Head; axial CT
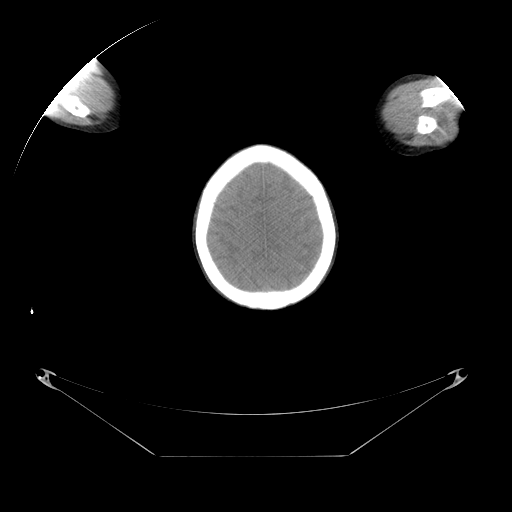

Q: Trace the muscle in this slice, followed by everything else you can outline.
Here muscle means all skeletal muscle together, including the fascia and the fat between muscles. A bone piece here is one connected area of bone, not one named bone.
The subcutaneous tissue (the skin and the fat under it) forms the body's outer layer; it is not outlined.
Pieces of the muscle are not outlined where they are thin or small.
A: {"muscle":[{"outer":[[418,79],[438,80],[446,84],[433,84],[422,88],[418,92],[421,108],[434,108],[451,100],[453,97],[452,91],[460,102],[457,116],[457,131],[452,139],[441,145],[412,146],[405,144],[395,138],[386,129],[381,117],[381,109],[388,93],[400,84]],"hole":[[422,114],[425,114],[426,115],[428,115],[429,116],[434,117],[437,121],[437,123],[438,124],[438,128],[436,128],[433,131],[429,133],[425,133],[424,134],[421,134],[420,133],[418,133],[416,131],[416,125],[417,124],[417,118],[418,116]]},{"outer":[[92,59],[103,69],[103,71],[105,74],[105,78],[111,85],[115,92],[115,105],[113,109],[109,112],[108,114],[109,117],[102,123],[100,124],[95,124],[94,125],[77,125],[76,124],[70,124],[55,119],[52,116],[47,107],[63,86],[86,63]],"hole":[[67,94],[74,94],[77,96],[79,96],[80,97],[80,99],[91,110],[91,112],[88,115],[87,115],[83,118],[79,116],[76,116],[72,114],[64,108],[61,107],[60,105],[60,100],[61,98],[64,95],[66,95]]}],"bones":[{"outer":[[257,143],[270,144],[286,150],[303,162],[317,175],[328,196],[336,229],[336,242],[332,260],[320,283],[303,299],[277,309],[250,308],[238,304],[224,296],[207,277],[201,265],[195,245],[194,228],[196,212],[202,189],[208,178],[226,158],[244,147]],"hole":[[255,163],[269,163],[285,172],[297,182],[311,197],[317,219],[319,222],[321,230],[321,243],[317,258],[307,275],[299,283],[289,288],[248,290],[234,285],[223,275],[213,259],[208,246],[207,240],[208,230],[214,206],[219,194],[226,185],[238,174]]},[[433,85],[446,85],[448,87],[449,87],[449,88],[451,90],[451,95],[452,96],[451,99],[445,102],[443,102],[434,107],[421,107],[421,103],[422,102],[422,100],[419,94],[419,92],[422,89],[426,88],[427,87],[429,87],[430,86],[432,86]],[[67,94],[74,94],[77,96],[79,96],[80,97],[80,99],[91,110],[91,112],[88,115],[87,115],[83,118],[79,116],[76,116],[72,114],[64,108],[61,107],[60,105],[60,100],[61,98],[64,95],[66,95]],[[422,114],[425,114],[426,115],[428,115],[429,116],[434,117],[437,121],[437,123],[438,124],[438,128],[436,128],[433,131],[429,133],[425,133],[424,134],[421,134],[420,133],[418,133],[416,131],[416,125],[417,124],[417,118],[418,116]]],"right_arm":[[[92,59],[96,59],[100,61],[107,67],[115,76],[122,88],[124,99],[123,100],[123,122],[121,127],[115,130],[106,132],[105,133],[86,133],[81,131],[68,129],[56,125],[50,121],[47,118],[47,116],[44,114],[47,107],[63,86],[86,63]]],"left_arm":[[[415,72],[432,73],[439,77],[455,94],[462,104],[465,112],[460,120],[461,129],[459,136],[451,145],[445,149],[433,151],[424,155],[413,157],[412,156],[401,155],[391,151],[383,143],[373,124],[371,113],[374,103],[380,93],[386,86],[403,75]]],"brain":[[[255,163],[269,163],[285,172],[297,182],[311,197],[317,219],[319,222],[321,230],[321,243],[317,258],[307,275],[299,283],[289,288],[248,290],[234,285],[223,275],[213,259],[208,246],[207,240],[208,230],[214,206],[219,194],[226,185],[238,174]]],"head":[[[254,142],[277,144],[293,152],[305,162],[325,186],[333,201],[339,221],[340,241],[337,259],[325,283],[311,297],[297,305],[277,311],[254,311],[240,308],[228,303],[217,295],[202,276],[194,258],[190,240],[192,212],[206,180],[228,154],[244,145]]]}